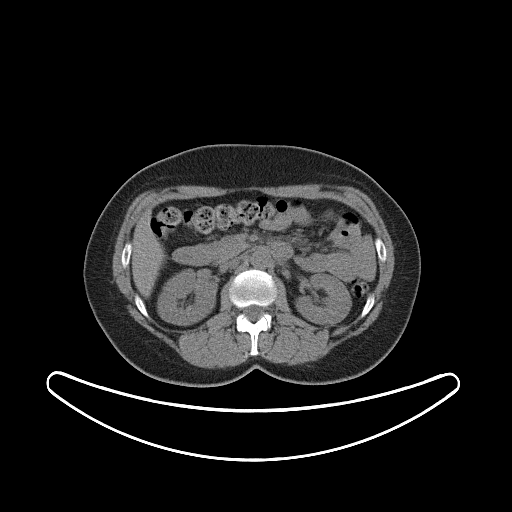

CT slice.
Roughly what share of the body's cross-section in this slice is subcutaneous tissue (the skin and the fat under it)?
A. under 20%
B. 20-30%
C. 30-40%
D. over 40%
Answer: C. 30-40%
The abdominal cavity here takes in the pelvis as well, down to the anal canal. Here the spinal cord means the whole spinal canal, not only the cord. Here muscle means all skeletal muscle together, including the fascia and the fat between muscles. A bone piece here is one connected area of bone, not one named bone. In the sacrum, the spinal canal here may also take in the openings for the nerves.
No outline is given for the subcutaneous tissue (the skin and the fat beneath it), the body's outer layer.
The muscle is outlined by (309, 183) (349, 185) (365, 193) (373, 201) (392, 240) (394, 250) (394, 269) (390, 283) (384, 293) (382, 309) (378, 317) (361, 333) (337, 345) (317, 361) (308, 364) (287, 365) (283, 363) (273, 363) (259, 356) (251, 356) (246, 361) (235, 366) (209, 369) (192, 365) (184, 360) (171, 347) (135, 321) (129, 314) (126, 307) (127, 301) (113, 279) (112, 257) (116, 237) (126, 210) (138, 194) (148, 189) (160, 189) (174, 185) (203, 185) (231, 188) with a hole at (242, 191) (331, 199) (359, 212) (386, 248) (386, 259) (378, 262) (378, 278) (371, 292) (374, 303) (364, 317) (359, 314) (341, 325) (311, 324) (292, 312) (286, 287) (275, 277) (276, 297) (267, 308) (271, 327) (258, 334) (258, 354) (250, 355) (250, 334) (236, 328) (240, 311) (229, 297) (232, 278) (221, 288) (219, 311) (194, 328) (164, 327) (138, 309) (130, 269) (122, 266) (121, 253) (131, 241) (130, 233) (140, 214) (168, 199) (217, 197). The abdominal cavity is outlined by (242, 191) (335, 200) (355, 209) (373, 228) (378, 278) (353, 320) (341, 325) (305, 321) (292, 312) (282, 280) (257, 268) (242, 270) (229, 279) (220, 291) (219, 311) (194, 328) (170, 329) (149, 314) (134, 290) (129, 268) (130, 233) (140, 214) (168, 199) (217, 197). The bones appear in 5 outlined pieces: piece 1: (248, 269) (265, 271) (272, 277) (277, 289) (276, 297) (267, 308) (272, 317) (271, 327) (268, 330) (262, 330) (258, 334) (257, 355) (250, 355) (249, 353) (251, 349) (250, 334) (246, 331) (240, 332) (236, 328) (236, 317) (240, 311) (229, 297) (229, 288) (233, 278); inner edge: (250, 305) (256, 305) (257, 306) (260, 306) (261, 307) (263, 307) (264, 308) (264, 311) (263, 312) (262, 315) (257, 320) (256, 320) (255, 321) (251, 321) (250, 320) (249, 320) (247, 318) (247, 317) (243, 312) (243, 309) (244, 308) (245, 308) (246, 307) (247, 307); piece 2: (376, 237) (378, 237) (379, 238) (380, 238) (380, 239) (383, 242) (383, 243) (384, 244) (384, 245) (386, 248) (386, 259) (384, 262) (382, 262) (381, 261) (380, 261) (378, 258) (378, 254) (377, 253) (377, 250) (376, 249) (376, 246) (375, 245) (375, 239) (376, 238); piece 3: (127, 242) (129, 242) (131, 244) (131, 253) (130, 254) (130, 257) (129, 258) (129, 263) (128, 264) (128, 265) (125, 268) (124, 268) (122, 266) (122, 265) (121, 264) (121, 253) (122, 252) (122, 250) (123, 249) (123, 248) (124, 247) (124, 246) (125, 245) (125, 244); piece 4: (370, 293) (372, 293) (374, 296) (374, 303) (373, 304) (371, 309) (364, 316) (364, 317) (361, 318) (360, 317) (360, 314) (361, 313) (361, 312) (362, 311) (362, 309) (363, 308) (363, 307) (366, 302) (366, 300) (367, 299) (367, 297) (368, 296) (368, 295); piece 5: (135, 294) (138, 294) (139, 295) (139, 296) (141, 298) (141, 299) (143, 301) (143, 303) (145, 306) (145, 308) (146, 309) (146, 310) (149, 315) (149, 318) (147, 318) (138, 309) (138, 308) (136, 306) (136, 305) (135, 304) (135, 301) (134, 300) (134, 296) (135, 295). The torso is outlined by (209, 144) (278, 144) (330, 154) (367, 173) (405, 212) (419, 244) (419, 286) (405, 330) (373, 368) (357, 377) (322, 385) (283, 381) (254, 369) (227, 384) (191, 387) (144, 374) (110, 343) (93, 315) (83, 283) (85, 250) (93, 227) (112, 195) (134, 173) (160, 159). The spinal cord is outlined by (250, 305) (256, 305) (257, 306) (260, 306) (261, 307) (263, 307) (264, 308) (264, 311) (263, 312) (262, 315) (257, 320) (256, 320) (255, 321) (251, 321) (250, 320) (249, 320) (247, 318) (247, 317) (243, 312) (243, 309) (244, 308) (245, 308) (246, 307) (247, 307).